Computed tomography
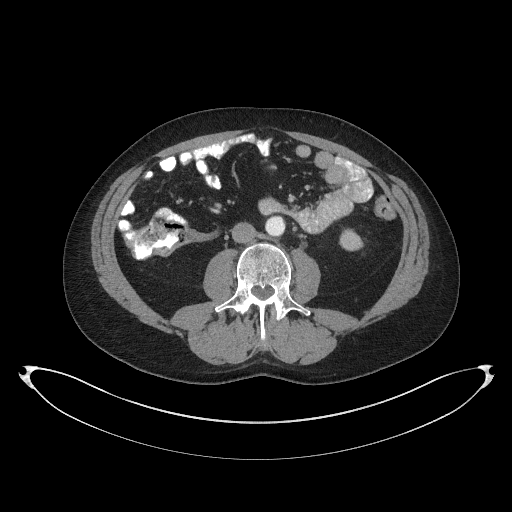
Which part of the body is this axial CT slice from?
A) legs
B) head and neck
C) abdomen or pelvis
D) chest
Answer: C) abdomen or pelvis
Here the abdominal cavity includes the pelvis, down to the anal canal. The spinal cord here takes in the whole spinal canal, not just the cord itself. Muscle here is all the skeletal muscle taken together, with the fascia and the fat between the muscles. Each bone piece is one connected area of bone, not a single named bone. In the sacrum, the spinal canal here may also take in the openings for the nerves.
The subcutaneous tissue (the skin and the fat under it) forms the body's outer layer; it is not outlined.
{"spinal_cord":[[[260,299],[265,299],[269,296],[270,296],[273,293],[273,290],[272,289],[272,288],[271,288],[268,286],[267,286],[263,289],[262,289],[257,286],[254,287],[252,289],[252,293]]],"abdominal_cavity":[[[358,318],[383,293],[397,265],[400,216],[359,164],[281,132],[252,130],[164,158],[141,176],[114,227],[122,271],[165,317],[209,300],[201,284],[218,251],[235,248],[238,256],[267,241],[289,257],[293,248],[302,249],[318,263],[321,281],[309,305]]],"muscle":[{"outer":[[218,366],[243,363],[265,353],[287,364],[313,364],[329,355],[336,348],[339,340],[348,333],[383,319],[414,297],[419,292],[428,272],[430,236],[426,215],[417,196],[408,185],[402,179],[385,172],[346,146],[319,136],[285,130],[275,126],[254,126],[196,136],[163,148],[119,175],[100,201],[90,229],[91,260],[100,284],[110,297],[138,320],[163,332],[175,334],[181,339],[185,339],[190,350],[197,357],[209,364]],"hole":[[261,340],[267,313],[311,313],[289,292],[293,248],[322,274],[308,304],[359,318],[386,288],[402,238],[400,216],[359,164],[271,129],[164,158],[141,176],[113,233],[125,276],[165,317],[209,300],[206,265],[235,248],[237,287],[214,310],[257,311]]}],"torso":[[[203,385],[256,376],[306,385],[348,381],[422,352],[444,332],[459,295],[460,267],[455,240],[427,184],[380,139],[351,122],[314,110],[209,108],[178,116],[151,129],[116,157],[92,184],[73,216],[63,249],[64,295],[76,325],[98,348],[135,369]]],"bones":[{"outer":[[261,340],[266,337],[264,316],[267,313],[277,320],[290,310],[307,316],[311,313],[309,308],[290,295],[293,268],[289,258],[283,250],[267,242],[248,246],[240,253],[236,264],[235,292],[214,308],[216,312],[233,308],[242,315],[250,310],[257,311]],"hole":[[260,299],[265,299],[269,296],[270,296],[273,293],[273,290],[272,289],[272,288],[271,288],[268,286],[267,286],[263,289],[262,289],[257,286],[254,287],[252,289],[252,293]]}]}